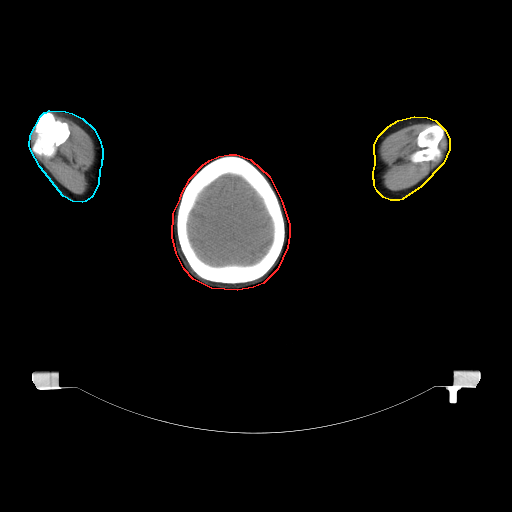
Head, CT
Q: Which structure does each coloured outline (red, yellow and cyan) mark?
A: red: head; yellow: left arm; cyan: right arm.
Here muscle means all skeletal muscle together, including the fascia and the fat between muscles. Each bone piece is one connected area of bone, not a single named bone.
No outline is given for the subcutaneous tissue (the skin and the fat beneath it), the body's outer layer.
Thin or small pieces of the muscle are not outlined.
The head is outlined by 229,154 236,154 250,159 269,176 281,200 289,224 289,235 287,247 277,269 263,283 253,287 237,290 211,288 193,279 184,269 176,253 172,236 173,213 180,199 181,194 190,178 202,165 209,160 218,156. The left arm is outlined by 414,116 427,117 435,120 444,129 448,136 449,139 449,149 443,163 421,186 402,199 399,200 390,200 383,197 377,191 374,185 374,180 373,179 373,172 375,164 374,145 378,136 388,126 398,120. The right arm is outlined by 49,110 65,111 72,113 82,118 93,128 99,139 102,149 102,159 101,160 101,165 99,169 98,184 91,197 85,201 82,202 72,201 63,196 40,167 30,149 29,145 30,135 41,115 44,112 46,112. The bones appear in 3 outlined pieces: piece 1: 224,155 237,155 245,158 251,162 265,176 277,195 285,225 284,243 281,252 272,267 258,279 242,283 214,282 198,276 190,267 185,258 181,250 176,232 176,215 178,204 186,184 192,176 205,164 215,158 with a hole at 225,174 232,174 239,176 245,180 253,188 261,198 272,223 272,237 267,251 258,261 251,264 246,265 227,264 216,266 206,263 197,255 191,244 188,235 188,227 187,226 188,218 199,194 205,187 220,176; piece 2: 44,112 50,112 52,113 56,119 60,120 63,122 66,122 69,128 69,136 63,143 60,144 57,147 56,152 52,157 47,157 43,155 37,155 32,151 32,145 36,137 33,132 33,130 36,125 37,121; piece 3: 431,124 439,124 445,131 444,137 438,143 438,148 440,150 441,155 439,158 438,157 433,160 424,160 423,161 420,161 419,162 413,162 410,159 410,155 415,151 417,151 420,148 417,144 417,136 420,131. The brain is outlined by 225,174 232,174 239,176 245,180 253,188 261,198 272,223 272,237 267,251 258,261 251,264 246,265 227,264 216,266 206,263 197,255 191,244 188,235 188,227 187,226 188,218 199,194 205,187 220,176. The muscle appears in 2 outlined pieces: piece 1: 416,123 431,123 417,134 416,144 419,148 409,155 409,159 413,163 419,163 433,161 439,159 441,156 441,158 422,179 411,187 398,191 391,190 383,184 382,175 386,169 386,164 380,155 380,145 388,135; piece 2: 55,115 65,117 73,121 82,128 93,141 95,153 94,160 91,167 86,172 88,186 86,190 81,194 73,193 64,187 38,157 43,156 52,158 56,154 58,147 63,144 70,136 70,128 68,123 56,118.